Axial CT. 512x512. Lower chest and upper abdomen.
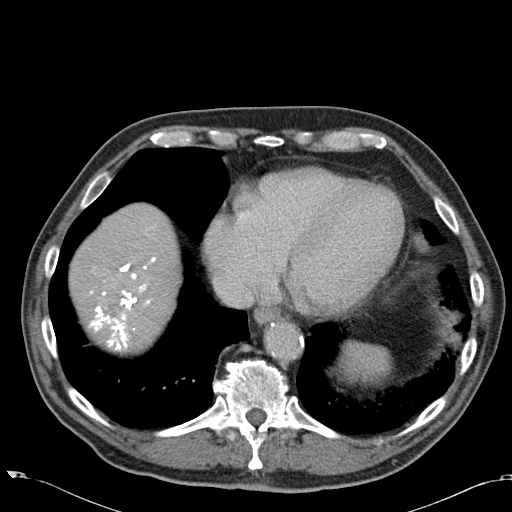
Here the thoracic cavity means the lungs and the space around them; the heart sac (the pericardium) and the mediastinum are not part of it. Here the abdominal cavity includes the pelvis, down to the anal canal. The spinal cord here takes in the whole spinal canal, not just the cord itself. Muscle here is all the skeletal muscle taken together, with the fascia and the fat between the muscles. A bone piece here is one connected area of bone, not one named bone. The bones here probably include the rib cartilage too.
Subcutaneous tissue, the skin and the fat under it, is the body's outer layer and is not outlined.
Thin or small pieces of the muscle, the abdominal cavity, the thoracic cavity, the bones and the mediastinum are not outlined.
The muscle is outlined by (180, 124) (266, 133) (310, 130) (292, 136) (297, 144) (275, 134) (238, 143) (235, 132) (210, 128) (205, 136) (213, 145) (197, 145) (189, 130) (160, 130) (148, 137) (155, 146) (135, 151) (115, 175) (105, 169) (91, 180) (78, 205) (82, 211) (61, 245) (49, 246) (43, 266) (49, 315) (41, 318) (41, 334) (71, 385) (66, 393) (72, 403) (108, 428) (113, 425) (99, 411) (120, 426) (154, 430) (160, 438) (203, 428) (219, 435) (230, 428) (225, 436) (232, 440) (236, 429) (250, 445) (251, 471) (263, 467) (259, 449) (270, 429) (304, 429) (340, 439) (342, 434) (391, 433) (413, 420) (392, 436) (398, 438) (435, 418) (447, 402) (456, 367) (462, 376) (476, 355) (478, 340) (467, 337) (472, 302) (482, 305) (484, 283) (477, 270) (468, 274) (453, 208) (436, 194) (432, 201) (400, 158) (385, 148) (384, 136) (343, 129) (315, 135) (316, 130) (358, 126) (395, 140) (444, 192) (463, 219) (490, 283) (493, 313) (481, 367) (443, 425) (411, 447) (347, 473) (263, 473) (221, 465) (182, 469) (120, 450) (53, 401) (35, 365) (27, 319) (42, 248) (101, 166) (142, 134); inner edge: (380, 437) (381, 438) (382, 438) (383, 439) (384, 440) (384, 441) (383, 442) (382, 443) (381, 444) (380, 444) (379, 445) (378, 445) (377, 445) (376, 444) (375, 444) (374, 443) (374, 442) (374, 441) (375, 440) (376, 440) (377, 439) (378, 438) (379, 438). The thoracic cavity appears in 3 outlined pieces: piece 1: (190, 146) (220, 151) (228, 182) (200, 240) (149, 201) (104, 215) (67, 264) (75, 322) (88, 347) (118, 360) (144, 356) (178, 307) (186, 250) (212, 299) (245, 312) (249, 336) (219, 353) (225, 372) (204, 411) (130, 428) (68, 380) (50, 280) (68, 229) (135, 152); piece 2: (448, 267) (467, 299) (469, 329) (451, 383) (414, 419) (391, 432) (351, 435) (322, 423) (288, 394) (305, 339) (324, 322) (335, 323) (341, 337) (323, 366) (325, 380) (358, 402) (376, 402) (455, 352) (455, 328) (465, 314) (453, 301) (444, 304) (440, 276); piece 3: (424, 221) (425, 222) (427, 222) (431, 224) (434, 227) (437, 233) (442, 238) (442, 241) (440, 243) (436, 245) (432, 245) (430, 243) (429, 243) (429, 242) (426, 239) (426, 235) (424, 233) (424, 230) (422, 226) (422, 222). The spinal cord is outlined by (253, 408) (257, 408) (258, 409) (260, 409) (261, 410) (264, 411) (266, 414) (266, 417) (265, 418) (265, 419) (260, 424) (259, 424) (257, 426) (255, 426) (254, 425) (253, 425) (247, 419) (247, 418) (246, 417) (246, 413) (248, 411) (249, 411) (251, 409) (252, 409). The pericardium is outlined by (289, 155) (311, 156) (338, 164) (381, 169) (403, 190) (409, 203) (412, 237) (406, 261) (363, 311) (341, 321) (329, 320) (318, 325) (304, 323) (297, 313) (285, 306) (254, 304) (243, 309) (234, 309) (216, 297) (200, 264) (199, 247) (203, 233) (237, 176) (259, 161). The abdominal cavity appears in 2 outlined pieces: piece 1: (136, 201) (154, 204) (168, 214) (181, 228) (183, 232) (181, 239) (186, 249) (182, 253) (184, 278) (175, 312) (153, 347) (140, 357) (118, 359) (93, 346) (86, 345) (87, 339) (76, 322) (74, 308) (68, 295) (67, 270) (76, 248) (100, 220) (118, 208); piece 2: (413, 231) (423, 233) (453, 261) (455, 273) (448, 266) (439, 280) (445, 286) (443, 304) (453, 302) (464, 314) (454, 328) (459, 345) (455, 351) (448, 349) (423, 375) (376, 401) (358, 401) (335, 391) (324, 373) (342, 337) (337, 324) (363, 312) (378, 297) (407, 261). The torso is outlined by (269, 105) (328, 105) (371, 112) (405, 127) (438, 155) (462, 190) (502, 274) (506, 304) (495, 355) (474, 397) (451, 429) (415, 461) (374, 481) (277, 493) (183, 485) (116, 468) (55, 417) (35, 385) (20, 321) (23, 279) (32, 245) (83, 166) (123, 127) (172, 111). The mediastinum appears in 3 outlined pieces: piece 1: (247, 142) (266, 147) (288, 143) (314, 151) (384, 148) (395, 154) (459, 241) (469, 295) (458, 279) (454, 261) (438, 249) (443, 238) (424, 220) (423, 232) (413, 230) (406, 193) (381, 168) (311, 155) (277, 155) (245, 168) (229, 188) (222, 152) (204, 146) (231, 148); piece 2: (254, 305) (285, 307) (297, 314) (304, 324) (313, 325) (309, 329) (310, 335) (304, 339) (304, 351) (294, 383) (291, 385) (284, 373) (263, 358) (247, 357) (228, 360) (224, 363) (225, 371) (222, 372) (217, 367) (219, 355) (225, 347) (249, 338) (248, 318) (243, 310); piece 3: (184, 232) (196, 242) (200, 241) (198, 247) (198, 259) (199, 264) (205, 274) (205, 277) (209, 282) (215, 297) (223, 304) (229, 305) (232, 308) (219, 305) (206, 291) (200, 279) (195, 273) (194, 262) (186, 248) (184, 240) (182, 239) (182, 235) (184, 234) (182, 233). The bones appear in 13 outlined pieces: piece 1: (247, 358) (276, 367) (287, 377) (287, 394) (343, 436) (270, 428) (258, 449) (262, 467) (252, 470) (251, 445) (236, 428) (232, 439) (226, 436) (230, 427) (219, 434) (203, 427) (155, 436) (155, 430) (209, 408) (216, 397) (213, 380) (224, 376) (225, 363) with a hole at (253, 408) (257, 408) (258, 409) (260, 409) (261, 410) (264, 411) (266, 414) (266, 417) (265, 418) (265, 419) (260, 424) (259, 424) (257, 426) (255, 426) (254, 425) (253, 425) (247, 419) (247, 418) (246, 417) (246, 413) (248, 411) (249, 411) (251, 409) (252, 409); piece 2: (333, 130) (373, 133) (384, 137) (387, 141) (387, 144) (381, 149) (377, 149) (370, 146) (369, 147) (361, 146) (355, 150) (330, 150) (326, 147) (318, 148) (311, 144) (300, 145) (293, 140) (293, 136) (297, 132) (300, 131) (311, 131) (317, 138) (324, 133); piece 3: (176, 130) (185, 130) (186, 131) (189, 131) (191, 132) (194, 135) (195, 137) (195, 144) (196, 145) (190, 145) (189, 146) (171, 146) (170, 147) (163, 147) (162, 146) (156, 146) (154, 145) (149, 140) (149, 137) (153, 133) (156, 133) (160, 131) (175, 131); piece 4: (444, 394) (446, 397) (446, 402) (443, 408) (436, 415) (435, 417) (434, 417) (425, 424) (415, 429) (413, 429) (401, 436) (399, 436) (398, 437) (393, 437) (393, 436) (395, 434) (411, 424) (414, 421) (417, 416) (429, 404) (430, 404) (433, 401) (434, 401); piece 5: (105, 170) (107, 170) (112, 175) (114, 175) (113, 178) (108, 184) (108, 185) (104, 189) (104, 190) (88, 206) (87, 206) (83, 210) (82, 210) (79, 207) (79, 205) (80, 204) (80, 202) (81, 201) (89, 184) (92, 181) (92, 180) (99, 173) (100, 173); piece 6: (69, 386) (72, 386) (78, 392) (79, 392) (95, 408) (95, 409) (98, 412) (98, 413) (104, 419) (105, 419) (112, 425) (113, 428) (108, 427) (104, 425) (99, 421) (88, 416) (78, 407) (77, 407) (73, 403) (73, 402) (68, 396) (68, 394) (67, 393) (67, 388); piece 7: (435, 195) (440, 197) (445, 202) (449, 204) (449, 205) (452, 208) (454, 215) (456, 218) (456, 220) (458, 224) (458, 227) (459, 228) (459, 233) (457, 235) (454, 234) (450, 230) (450, 229) (444, 223) (444, 222) (437, 213) (434, 207) (434, 204) (433, 203) (433, 197); piece 8: (471, 336) (475, 336) (477, 340) (477, 348) (476, 349) (475, 355) (473, 358) (472, 362) (466, 371) (462, 375) (461, 375) (459, 373) (459, 370) (460, 369) (460, 361) (459, 359) (460, 358) (461, 351) (462, 350) (462, 348) (464, 345) (465, 341) (467, 338); piece 9: (45, 315) (48, 315) (51, 320) (52, 327) (53, 328) (54, 334) (55, 335) (55, 340) (56, 341) (56, 346) (57, 347) (58, 359) (55, 359) (52, 356) (50, 351) (48, 349) (45, 343) (45, 341) (42, 334) (42, 330) (41, 329) (41, 321) (42, 320) (42, 318); piece 10: (210, 129) (215, 129) (216, 130) (219, 130) (220, 131) (226, 131) (227, 132) (235, 133) (237, 135) (237, 144) (235, 146) (233, 146) (232, 145) (228, 145) (227, 146) (219, 146) (218, 145) (216, 145) (215, 144) (211, 143) (208, 140) (206, 136) (206, 133) (207, 131); piece 11: (474, 270) (475, 270) (478, 272) (478, 273) (479, 274) (479, 275) (482, 280) (482, 282) (483, 283) (483, 301) (480, 306) (475, 306) (474, 305) (474, 304) (471, 299) (471, 295) (470, 294) (470, 288) (469, 287) (469, 276) (470, 275) (471, 272); piece 12: (53, 244) (58, 245) (60, 247) (60, 249) (59, 250) (58, 258) (57, 259) (57, 262) (56, 263) (56, 266) (54, 272) (51, 278) (48, 279) (45, 276) (45, 269) (44, 268) (45, 265) (45, 258) (48, 249) (50, 246); piece 13: (263, 135) (275, 135) (276, 136) (280, 136) (281, 137) (282, 137) (284, 139) (284, 143) (283, 144) (282, 144) (279, 146) (266, 146) (265, 145) (262, 145) (261, 144) (256, 144) (255, 143) (254, 143) (252, 141) (253, 138) (254, 138) (256, 136) (262, 136).